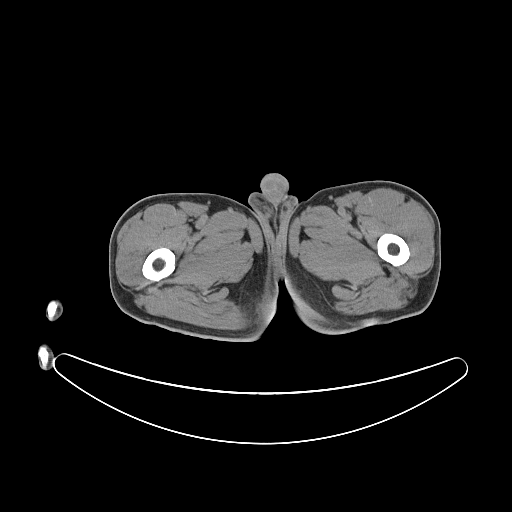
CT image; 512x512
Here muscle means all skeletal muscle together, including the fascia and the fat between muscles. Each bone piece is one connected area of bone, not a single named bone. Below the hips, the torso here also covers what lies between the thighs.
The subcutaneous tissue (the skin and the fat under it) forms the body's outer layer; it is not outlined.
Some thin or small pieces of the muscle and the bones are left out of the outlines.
{"muscle":[{"outer":[[181,200],[202,204],[220,203],[244,213],[257,224],[261,232],[261,250],[251,270],[242,299],[242,304],[254,319],[249,327],[239,330],[215,329],[152,315],[139,308],[133,302],[131,295],[119,284],[115,260],[117,234],[120,228],[130,217],[149,204]],"hole":[[159,247],[166,247],[170,250],[171,250],[174,253],[174,255],[175,256],[175,268],[172,272],[172,273],[168,276],[164,277],[160,279],[158,281],[152,281],[146,278],[143,275],[142,273],[142,265],[144,262],[144,260],[146,258],[148,254],[153,250]]},{"outer":[[378,187],[387,187],[403,192],[423,205],[429,212],[434,223],[433,265],[430,271],[419,280],[416,296],[404,307],[385,311],[379,310],[357,316],[343,315],[335,312],[329,306],[319,287],[296,265],[290,252],[291,220],[307,206],[315,205],[341,192]],"hole":[[384,233],[393,233],[394,234],[396,234],[400,236],[402,238],[403,238],[408,245],[410,254],[409,255],[409,257],[408,259],[403,264],[401,265],[399,265],[398,266],[394,266],[389,262],[387,262],[383,260],[378,255],[377,253],[377,241],[379,237]]}],"bones":[[[159,247],[166,247],[170,250],[171,250],[174,253],[174,255],[175,256],[175,268],[172,272],[172,273],[168,276],[164,277],[160,279],[158,281],[152,281],[146,278],[143,275],[142,273],[142,265],[144,262],[144,260],[146,258],[148,254],[153,250]],[[384,233],[393,233],[394,234],[396,234],[400,236],[402,238],[403,238],[408,245],[410,254],[409,255],[409,257],[408,259],[403,264],[401,265],[399,265],[398,266],[394,266],[389,262],[387,262],[383,260],[378,255],[377,253],[377,241],[379,237]],[[40,345],[45,345],[46,346],[46,347],[47,348],[47,350],[49,353],[49,357],[48,358],[48,363],[47,364],[47,365],[45,368],[43,368],[40,365],[40,360],[38,357],[38,348]],[[51,300],[55,300],[58,303],[58,305],[57,306],[57,308],[56,309],[56,311],[55,312],[55,313],[54,314],[54,315],[52,317],[51,317],[50,318],[49,317],[48,317],[48,315],[47,314],[47,305],[48,304],[48,303]]],"torso":[[[271,172],[279,173],[286,178],[289,184],[288,192],[290,194],[295,195],[299,201],[288,218],[284,247],[283,283],[282,281],[280,281],[279,283],[277,268],[265,233],[248,203],[249,194],[254,191],[259,192],[261,189],[260,181],[262,177],[265,174]]],"right_leg":[[[168,192],[214,193],[232,198],[245,205],[248,204],[264,233],[276,268],[279,288],[275,314],[259,339],[246,342],[221,341],[187,335],[156,325],[140,322],[124,313],[116,304],[110,290],[108,272],[108,247],[114,225],[121,214],[136,201],[153,194]]],"left_leg":[[[365,180],[390,180],[404,184],[419,192],[435,210],[441,228],[441,269],[438,285],[429,306],[417,315],[386,324],[370,325],[347,333],[320,333],[308,327],[298,317],[293,309],[284,285],[285,247],[289,218],[299,202],[308,198],[316,191],[330,186]]],"right_arm":[[[43,342],[46,342],[50,346],[52,350],[52,352],[53,353],[53,361],[52,359],[51,360],[51,363],[49,364],[50,365],[50,367],[49,369],[45,369],[43,368],[40,365],[40,362],[39,361],[40,360],[38,357],[38,348],[39,346],[41,345]],[[55,298],[57,298],[61,301],[61,302],[62,303],[62,305],[63,306],[63,312],[62,313],[62,315],[58,319],[57,319],[54,321],[51,321],[49,319],[48,319],[48,318],[47,317],[47,305],[48,304],[48,303],[52,299],[54,299]]]}